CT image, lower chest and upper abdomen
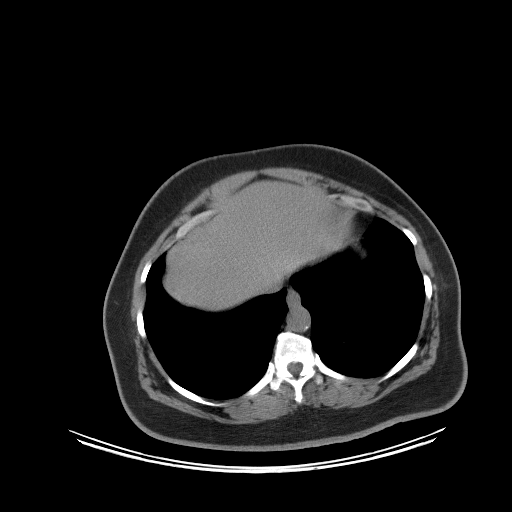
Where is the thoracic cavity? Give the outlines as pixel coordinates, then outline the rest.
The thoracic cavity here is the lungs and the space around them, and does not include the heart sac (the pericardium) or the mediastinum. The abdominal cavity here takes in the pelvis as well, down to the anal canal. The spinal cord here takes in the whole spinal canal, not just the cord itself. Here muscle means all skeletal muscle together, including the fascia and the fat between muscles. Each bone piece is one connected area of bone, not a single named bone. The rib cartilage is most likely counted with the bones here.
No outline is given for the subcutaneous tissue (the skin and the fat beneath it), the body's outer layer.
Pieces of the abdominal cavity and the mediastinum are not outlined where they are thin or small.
The thoracic cavity appears in 2 outlined pieces: piece 1: (375, 216) (399, 229) (412, 244) (422, 277) (424, 303) (415, 341) (408, 350) (382, 375) (354, 377) (329, 367) (314, 351) (310, 338) (311, 314) (302, 304) (300, 295) (290, 287) (289, 280) (294, 274) (348, 249) (360, 260) (365, 260) (369, 253) (362, 245) (362, 239); piece 2: (162, 253) (165, 257) (161, 284) (172, 298) (186, 307) (204, 312) (224, 312) (258, 296) (277, 292) (283, 287) (287, 288) (287, 311) (276, 335) (272, 356) (262, 376) (241, 395) (226, 399) (207, 399) (177, 383) (156, 356) (147, 338) (143, 310) (147, 276) (153, 263). The torso is outlined by (298, 142) (338, 147) (368, 160) (407, 192) (435, 224) (459, 276) (460, 328) (468, 366) (465, 388) (459, 399) (443, 412) (399, 422) (361, 438) (317, 447) (226, 451) (151, 437) (130, 419) (121, 403) (103, 333) (104, 298) (130, 231) (155, 190) (190, 162) (220, 153). The abdominal cavity is outlined by (262, 175) (333, 194) (343, 204) (361, 211) (351, 217) (352, 236) (348, 242) (351, 249) (294, 273) (289, 278) (288, 285) (277, 291) (258, 295) (228, 310) (204, 311) (180, 303) (162, 284) (166, 257) (164, 250) (173, 240) (180, 238) (209, 216) (212, 210) (207, 209). The mediastinum appears in 2 outlined pieces: piece 1: (284, 286) (289, 286) (292, 290) (296, 292) (299, 295) (301, 304) (310, 314) (311, 326) (310, 327) (310, 335) (309, 337) (290, 330) (284, 330) (279, 332) (280, 331) (281, 324) (288, 311) (288, 306) (286, 302) (286, 296) (288, 293) (288, 288) (286, 286); piece 2: (360, 212) (362, 213) (364, 212) (365, 213) (369, 213) (374, 216) (372, 218) (370, 223) (367, 225) (364, 230) (361, 239) (361, 245) (367, 250) (368, 253) (367, 257) (365, 259) (360, 259) (359, 255) (352, 249) (349, 244) (349, 242) (353, 236) (352, 235) (352, 217). The bones appear in 9 outlined pieces: piece 1: (284, 331) (309, 338) (313, 351) (322, 362) (347, 379) (339, 380) (324, 374) (323, 381) (318, 384) (313, 377) (308, 379) (301, 389) (301, 403) (296, 402) (294, 388) (286, 381) (280, 384) (278, 390) (266, 385) (250, 397) (243, 396) (265, 373) (273, 356) (277, 335), around a hole outlined by (290, 363) (300, 363) (301, 364) (301, 365) (302, 366) (301, 367) (301, 369) (300, 370) (300, 371) (296, 375) (295, 375) (294, 374) (293, 374) (291, 372) (290, 372) (289, 371) (289, 370) (288, 369) (288, 365); piece 2: (167, 375) (168, 375) (177, 384) (178, 384) (183, 388) (207, 400) (213, 401) (214, 402) (220, 402) (221, 403) (224, 403) (224, 405) (222, 406) (210, 406) (209, 405) (206, 405) (205, 404) (202, 404) (201, 403) (196, 402) (180, 394) (167, 382) (166, 380) (166, 376); piece 3: (415, 342) (417, 342) (419, 345) (418, 346) (418, 348) (417, 349) (415, 354) (412, 357) (412, 358) (399, 371) (398, 371) (396, 373) (395, 373) (392, 376) (391, 376) (390, 377) (389, 377) (388, 378) (379, 382) (379, 379) (384, 374) (385, 374) (409, 350) (409, 349); piece 4: (334, 194) (347, 194) (348, 195) (350, 195) (354, 197) (357, 197) (358, 198) (364, 199) (366, 200) (371, 205) (373, 210) (372, 212) (370, 213) (369, 212) (365, 212) (364, 211) (362, 211) (351, 205) (348, 205) (347, 204) (343, 203) (337, 197) (334, 197) (333, 195); piece 5: (206, 210) (211, 210) (211, 213) (209, 215) (208, 215) (204, 219) (203, 219) (201, 221) (200, 221) (198, 223) (197, 223) (195, 225) (191, 227) (183, 235) (175, 239) (175, 233) (178, 227) (179, 227) (186, 220) (187, 220) (192, 216) (200, 212) (202, 212); piece 6: (140, 307) (142, 307) (143, 308) (142, 310) (142, 315) (143, 316) (143, 325) (144, 326) (144, 329) (145, 330) (145, 333) (146, 334) (146, 337) (145, 338) (142, 338) (139, 334) (137, 330) (137, 325) (136, 324) (136, 313) (137, 312) (137, 310) (138, 308); piece 7: (422, 273) (426, 273) (428, 275) (428, 276) (430, 278) (430, 280) (431, 281) (431, 284) (432, 285) (432, 292) (431, 293) (431, 298) (430, 299) (430, 300) (429, 301) (426, 301) (425, 300) (425, 288) (424, 287) (424, 282) (423, 281) (423, 277) (422, 276); piece 8: (148, 260) (150, 260) (152, 262) (152, 264) (151, 265) (151, 266) (147, 273) (147, 275) (146, 276) (146, 279) (145, 280) (145, 282) (142, 284) (140, 284) (139, 283) (139, 280) (140, 279) (140, 275) (142, 272) (142, 270) (144, 267) (144, 265) (145, 264) (145, 263); piece 9: (402, 227) (405, 227) (406, 228) (407, 228) (408, 229) (409, 229) (413, 233) (413, 234) (416, 237) (416, 238) (417, 239) (417, 243) (416, 244) (416, 245) (415, 246) (414, 246) (413, 245) (413, 244) (411, 242) (411, 241) (407, 237) (407, 236) (401, 230) (401, 228). The muscle is outlined by (269, 166) (290, 166) (296, 168) (301, 168) (317, 172) (327, 177) (335, 179) (368, 194) (385, 205) (395, 210) (411, 223) (422, 240) (422, 243) (426, 250) (426, 252) (429, 256) (435, 273) (435, 281) (438, 287) (438, 291) (437, 292) (438, 294) (438, 309) (439, 310) (438, 320) (439, 321) (440, 339) (436, 352) (436, 360) (429, 370) (415, 379) (399, 386) (380, 399) (372, 403) (355, 408) (344, 407) (338, 409) (333, 409) (324, 405) (322, 405) (320, 407) (313, 407) (310, 405) (300, 405) (292, 413) (287, 413) (285, 415) (282, 415) (276, 419) (268, 419) (258, 423) (246, 423) (245, 424) (222, 423) (215, 420) (198, 417) (180, 411) (175, 408) (156, 401) (150, 398) (146, 392) (140, 386) (137, 376) (137, 369) (136, 368) (136, 353) (135, 352) (135, 345) (133, 340) (133, 333) (132, 332) (132, 326) (133, 324) (130, 317) (130, 305) (131, 304) (131, 297) (132, 296) (132, 287) (133, 286) (136, 269) (144, 253) (154, 242) (164, 228) (179, 212) (180, 209) (188, 201) (195, 196) (202, 188) (226, 175) (241, 170) (254, 169) (255, 168) (261, 168), around a hole outlined by (262, 175) (364, 199) (372, 215) (416, 237) (415, 259) (420, 272) (430, 278) (431, 298) (423, 304) (418, 348) (392, 376) (379, 382) (381, 375) (339, 380) (324, 374) (318, 384) (313, 377) (302, 386) (301, 403) (294, 399) (294, 388) (283, 381) (278, 390) (266, 385) (250, 397) (210, 399) (222, 406) (196, 402) (167, 382) (168, 374) (148, 339) (137, 330) (136, 313) (146, 301) (145, 284) (139, 283) (144, 265) (156, 260) (186, 220). The spinal cord is outlined by (290, 363) (300, 363) (301, 364) (301, 365) (302, 366) (301, 367) (301, 369) (300, 370) (300, 371) (296, 375) (295, 375) (294, 374) (293, 374) (291, 372) (290, 372) (289, 371) (289, 370) (288, 369) (288, 365).